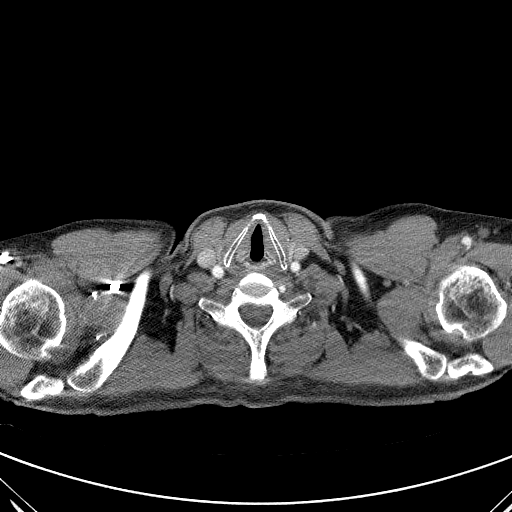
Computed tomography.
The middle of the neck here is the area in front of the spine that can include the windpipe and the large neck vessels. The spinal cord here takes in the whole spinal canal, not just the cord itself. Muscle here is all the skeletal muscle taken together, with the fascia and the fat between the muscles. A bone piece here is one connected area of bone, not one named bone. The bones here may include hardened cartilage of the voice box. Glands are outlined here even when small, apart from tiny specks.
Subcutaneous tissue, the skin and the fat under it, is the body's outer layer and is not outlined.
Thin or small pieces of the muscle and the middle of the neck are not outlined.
The middle of the neck is outlined by (256, 220) (267, 229) (281, 263) (287, 258) (288, 264) (292, 261) (296, 244) (305, 247) (308, 256) (297, 270) (287, 273) (253, 270) (217, 277) (199, 264) (197, 257) (203, 249) (215, 249) (217, 262) (221, 263) (223, 247) (230, 244) (222, 255) (223, 264) (228, 266). The torso is outlined by (402, 202) (437, 206) (429, 230) (435, 299) (464, 350) (497, 381) (453, 400) (406, 406) (292, 401) (263, 408) (201, 404) (113, 416) (27, 407) (71, 315) (78, 261) (73, 221) (170, 222) (176, 229) (170, 333) (216, 393) (222, 396) (249, 405) (261, 405) (280, 398) (285, 395) (297, 391) (334, 351) (349, 277) (346, 257) (325, 217). The muscle is outlined by (254, 209) (302, 214) (330, 241) (415, 213) (433, 218) (441, 240) (470, 227) (495, 232) (511, 244) (511, 364) (495, 369) (478, 352) (450, 359) (396, 335) (422, 378) (446, 374) (453, 382) (263, 381) (271, 337) (312, 295) (288, 296) (263, 272) (293, 273) (309, 252) (290, 239) (285, 249) (259, 211) (230, 243) (196, 257) (217, 278) (246, 273) (227, 301) (202, 295) (197, 305) (248, 345) (247, 382) (206, 377) (174, 391) (42, 399) (59, 396) (65, 384) (91, 393) (108, 379) (138, 331) (152, 277) (145, 268) (112, 333) (64, 378) (37, 373) (20, 396) (0, 388) (0, 346) (49, 360) (67, 325) (61, 295) (36, 277) (0, 303) (1, 249) (44, 246) (89, 227) (149, 228) (161, 231) (172, 261) (204, 220); inner edges: (456, 264) (476, 265) (486, 271) (507, 304) (506, 315) (500, 325) (486, 336) (471, 342) (465, 341) (459, 334) (455, 332) (447, 333) (441, 326) (435, 310) (435, 306) (438, 301) (438, 296) (436, 293) (438, 282) (442, 277) (449, 273) (452, 270) (453, 266), then (354, 261) (355, 261) (359, 265) (359, 266) (362, 269) (364, 274) (367, 278) (367, 281) (369, 284) (369, 292) (370, 293) (369, 294) (369, 296) (367, 297) (364, 297) (359, 292) (358, 288) (353, 279) (352, 273) (351, 272) (351, 267) (352, 266) (352, 263). The thyroid glands appear in 2 outlined pieces: piece 1: (289, 240) (290, 240) (292, 242) (295, 242) (295, 244) (294, 245) (294, 246) (293, 247) (293, 248) (292, 249) (292, 256) (291, 257) (291, 261) (289, 263) (288, 263) (288, 247) (287, 246) (288, 245) (288, 242) (289, 241); piece 2: (220, 245) (221, 245) (222, 246) (221, 247) (222, 248) (222, 249) (221, 250) (221, 262) (218, 262) (218, 257) (217, 256) (217, 255) (216, 254) (216, 249) (218, 247) (218, 246) (219, 246). The bones appear in 7 outlined pieces: piece 1: (28, 278) (36, 278) (42, 283) (54, 289) (60, 295) (64, 303) (65, 308) (64, 313) (66, 318) (65, 332) (59, 346) (53, 347) (49, 350) (49, 352) (51, 354) (51, 357) (49, 359) (36, 360) (18, 357) (10, 353) (0, 345) (0, 304) (5, 296) (15, 286); piece 2: (253, 271) (263, 273) (270, 278) (282, 294) (290, 297) (308, 292) (311, 300) (297, 312) (291, 323) (279, 327) (270, 337) (264, 355) (267, 373) (263, 380) (248, 382) (246, 379) (251, 361) (249, 345) (237, 331) (214, 321) (198, 302) (202, 296) (227, 302) (240, 279) with a hole at (245, 304) (253, 304) (257, 306) (264, 306) (265, 305) (269, 305) (271, 307) (272, 309) (272, 311) (268, 319) (261, 326) (259, 327) (254, 327) (253, 326) (251, 326) (249, 325) (242, 318) (240, 314) (240, 312) (239, 311) (239, 308) (242, 305) (244, 305); piece 3: (456, 264) (476, 265) (486, 271) (507, 304) (506, 315) (500, 325) (486, 336) (471, 342) (465, 341) (459, 334) (455, 332) (447, 333) (441, 326) (435, 310) (435, 306) (438, 301) (438, 296) (436, 293) (438, 282) (442, 277) (449, 273) (452, 270) (453, 266); piece 4: (145, 269) (150, 271) (151, 277) (137, 331) (122, 359) (103, 384) (94, 391) (81, 392) (65, 383) (59, 395) (47, 395) (37, 400) (28, 400) (21, 396) (22, 387) (37, 374) (44, 373) (47, 376) (64, 379) (72, 369) (86, 359) (113, 333) (124, 311) (135, 280); piece 5: (396, 336) (401, 336) (420, 342) (426, 346) (442, 352) (450, 360) (463, 356) (467, 353) (478, 353) (488, 360) (494, 369) (481, 375) (472, 375) (469, 372) (456, 379) (446, 377) (446, 373) (435, 380) (424, 378) (417, 370) (413, 361) (404, 353) (402, 347) (395, 337); piece 6: (259, 212) (265, 214) (276, 236) (285, 251) (287, 252) (286, 260) (284, 262) (280, 261) (280, 258) (269, 235) (268, 229) (260, 219) (256, 219) (249, 226) (242, 239) (235, 248) (230, 263) (228, 265) (225, 265) (223, 262) (224, 253) (233, 240) (250, 220) (252, 215); piece 7: (354, 261) (355, 261) (359, 265) (359, 266) (362, 269) (364, 274) (367, 278) (367, 281) (369, 284) (369, 292) (370, 293) (369, 294) (369, 296) (367, 297) (364, 297) (359, 292) (358, 288) (353, 279) (352, 273) (351, 272) (351, 267) (352, 266) (352, 263). The left arm is outlined by (438, 206) (442, 208) (453, 210) (511, 218) (511, 370) (508, 371) (500, 379) (496, 379) (488, 374) (471, 357) (465, 350) (455, 334) (447, 325) (441, 313) (434, 293) (434, 288) (430, 275) (430, 230) (432, 221) (435, 216). The right arm is outlined by (71, 221) (73, 224) (73, 229) (76, 238) (77, 261) (75, 281) (70, 308) (70, 315) (62, 334) (54, 344) (49, 354) (48, 362) (44, 370) (42, 379) (37, 386) (30, 401) (26, 407) (18, 406) (12, 402) (3, 401) (0, 399) (0, 240) (26, 233) (47, 230). The head and neck is outlined by (257, 199) (277, 200) (298, 204) (325, 218) (345, 257) (348, 291) (347, 305) (338, 336) (333, 351) (326, 361) (297, 390) (261, 404) (249, 404) (222, 395) (203, 381) (188, 353) (171, 333) (170, 290) (172, 262) (176, 252) (176, 244) (191, 222) (198, 215) (207, 210). The spinal cord is outlined by (245, 304) (253, 304) (257, 306) (264, 306) (265, 305) (269, 305) (271, 307) (272, 309) (272, 311) (268, 319) (261, 326) (259, 327) (254, 327) (253, 326) (251, 326) (249, 325) (242, 318) (240, 314) (240, 312) (239, 311) (239, 308) (242, 305) (244, 305).